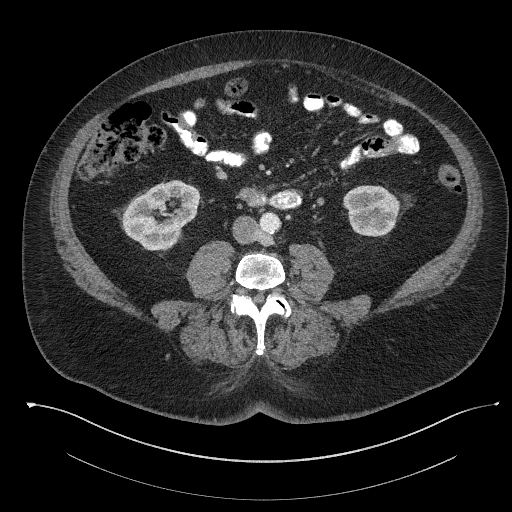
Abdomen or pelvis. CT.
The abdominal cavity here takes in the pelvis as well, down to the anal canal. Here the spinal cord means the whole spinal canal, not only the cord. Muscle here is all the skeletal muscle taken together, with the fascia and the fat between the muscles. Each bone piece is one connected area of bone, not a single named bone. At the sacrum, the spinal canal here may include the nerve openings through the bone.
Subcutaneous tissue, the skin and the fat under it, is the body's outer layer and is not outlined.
Outlines:
torso: (208, 425) (236, 423) (258, 412) (294, 424) (371, 414) (459, 375) (495, 329) (504, 300) (509, 227) (497, 158) (445, 90) (379, 50) (294, 29) (236, 30) (175, 43) (93, 87) (60, 121) (37, 158) (24, 203) (21, 277) (27, 321) (40, 353) (63, 377) (112, 399)
bones: (258, 355) (265, 348) (264, 331) (268, 317) (279, 314) (287, 318) (291, 308) (282, 293) (281, 286) (286, 280) (282, 263) (273, 254) (253, 252) (245, 254) (236, 265) (234, 279) (237, 287) (231, 295) (230, 311) (238, 316) (247, 315) (253, 320) (257, 336) (255, 352), around a hole outlined by (258, 306) (260, 306) (264, 302) (264, 301) (265, 300) (265, 296) (264, 295) (264, 294) (262, 292) (259, 292) (258, 291) (256, 291) (255, 292) (254, 292) (252, 294) (252, 295) (251, 296) (252, 297) (252, 300)
muscle: (291, 377) (329, 364) (350, 330) (362, 321) (452, 287) (476, 245) (483, 213) (479, 173) (465, 145) (445, 124) (393, 90) (345, 70) (286, 57) (196, 67) (143, 87) (98, 112) (64, 149) (51, 184) (48, 209) (57, 252) (84, 291) (158, 327) (187, 361) (214, 374) (246, 369) (258, 356) (252, 320) (229, 311) (236, 287) (233, 271) (240, 257) (225, 241) (201, 246) (185, 273) (196, 299) (162, 300) (148, 312) (113, 284) (77, 238) (68, 208) (76, 159) (101, 119) (122, 102) (150, 91) (246, 65) (283, 62) (314, 67) (407, 105) (446, 140) (466, 182) (462, 226) (442, 253) (377, 306) (371, 306) (367, 294) (322, 300) (333, 268) (315, 246) (289, 246) (282, 287) (292, 313) (287, 319) (269, 317) (261, 356)
abdominal cavity: (146, 311) (162, 299) (195, 299) (185, 270) (216, 239) (241, 257) (273, 253) (285, 269) (288, 246) (311, 243) (335, 270) (322, 299) (367, 293) (375, 306) (458, 232) (466, 208) (459, 164) (415, 110) (297, 64) (246, 66) (126, 101) (82, 149) (69, 208) (88, 253)
spinal cord: (258, 306) (260, 306) (264, 302) (264, 301) (265, 300) (265, 296) (264, 295) (264, 294) (262, 292) (259, 292) (258, 291) (256, 291) (255, 292) (254, 292) (252, 294) (252, 295) (251, 296) (252, 297) (252, 300)